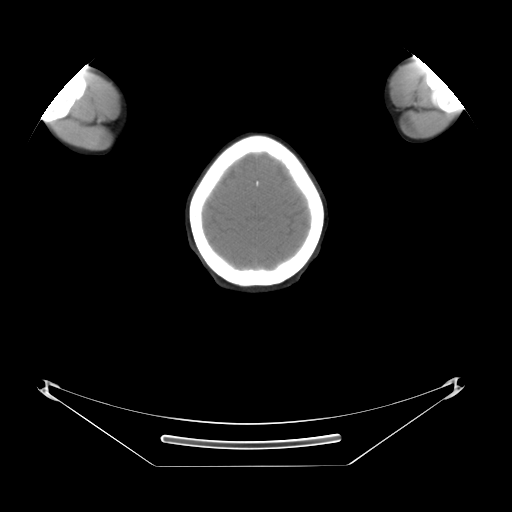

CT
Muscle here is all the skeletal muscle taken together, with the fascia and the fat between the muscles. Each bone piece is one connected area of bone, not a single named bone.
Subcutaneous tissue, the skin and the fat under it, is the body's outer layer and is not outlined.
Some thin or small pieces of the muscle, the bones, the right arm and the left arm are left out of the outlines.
muscle 1: 79,70 105,78 114,86 120,96 120,113 118,117 110,124 110,128 113,133 113,138 110,145 102,150 92,151 73,146 62,140 48,124 52,121 67,116 75,102 79,100 84,94 87,88 86,79 77,73
muscle 2: 418,60 429,67 424,75 426,85 430,90 432,104 446,113 452,113 459,104 461,105 454,117 443,129 430,137 417,139 406,135 402,131 398,121 400,113 396,110 390,99 389,83 392,75 401,65 410,64
right arm: 83,64 99,68 113,78 122,88 126,96 128,103 129,115 125,131 117,142 117,144 114,149 111,152 105,155 100,155 99,156 81,155 67,149 51,135 39,116 46,109 58,92 81,68
left arm: 410,54 422,61 445,82 448,87 455,94 465,110 465,111 463,111 461,113 457,121 447,131 438,137 425,143 410,143 400,137 392,123 392,120 384,105 383,101 383,88 386,77 389,71 399,61 409,56
head: 248,130 272,132 289,142 302,156 317,178 327,198 329,207 329,226 325,237 325,243 319,255 295,284 283,290 271,293 245,294 232,292 219,287 203,269 189,248 184,228 183,213 185,199 201,170 225,142
bones 1: 250,134 265,134 271,136 293,151 303,163 313,180 324,206 324,224 322,232 311,257 306,264 291,277 281,283 272,285 240,286 230,283 216,274 201,257 195,245 188,218 191,196 208,166 224,148 232,142; inner edge: 252,153 265,153 280,162 284,166 293,183 305,199 309,216 308,228 305,237 299,247 292,255 279,262 272,268 239,268 234,266 212,247 206,236 203,226 204,206 217,184 226,171 233,164 244,156
bones 2: 76,73 85,79 85,86 86,88 83,94 79,99 76,100 74,102 73,105 69,110 69,112 67,115 64,117 52,120 47,123 48,121 47,120 47,115 45,110 46,108 54,98 54,97 58,93 58,92
bones 3: 429,68 439,76 444,82 445,82 448,87 455,94 457,98 462,104 463,107 461,106 462,105 459,103 457,105 456,108 453,110 452,112 446,112 435,106 433,104 431,100 431,90 427,85 426,76 425,75
brain: 252,153 265,153 280,162 284,166 293,183 305,199 309,216 308,228 305,237 299,247 292,255 279,262 272,268 239,268 234,266 212,247 206,236 203,226 204,206 217,184 226,171 233,164 244,156